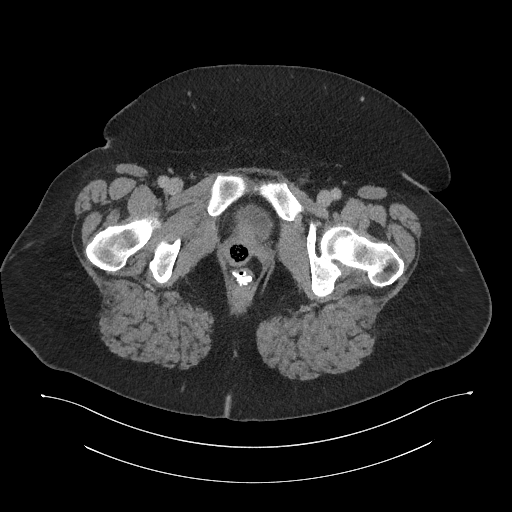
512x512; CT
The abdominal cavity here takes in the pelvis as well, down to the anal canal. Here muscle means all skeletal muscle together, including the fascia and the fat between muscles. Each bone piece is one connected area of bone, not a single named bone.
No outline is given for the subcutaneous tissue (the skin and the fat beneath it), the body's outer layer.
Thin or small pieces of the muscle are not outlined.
{"bones":[[[310,221],[320,222],[316,229],[318,241],[322,233],[329,227],[345,224],[371,241],[387,243],[403,260],[403,273],[393,283],[378,287],[369,281],[365,271],[340,265],[342,273],[336,279],[333,291],[323,297],[315,295],[311,289],[311,270],[306,245]],[[218,174],[241,175],[250,187],[257,184],[261,180],[285,181],[290,191],[303,206],[303,211],[299,214],[300,218],[299,219],[298,217],[291,221],[282,220],[272,206],[263,197],[252,191],[240,197],[220,215],[211,216],[206,207],[210,196],[210,188]],[[147,215],[156,216],[161,223],[160,226],[153,230],[148,241],[140,249],[127,259],[126,263],[123,267],[116,271],[107,271],[97,267],[88,259],[85,253],[85,248],[87,244],[97,232],[102,230],[109,225],[124,224],[134,219],[139,219],[145,217]],[[178,237],[180,238],[181,243],[180,244],[179,251],[177,254],[176,259],[173,265],[171,276],[166,282],[164,283],[159,283],[153,277],[152,273],[148,266],[150,260],[153,257],[154,249],[156,245],[160,241],[165,240],[169,243],[172,243]]],"muscle":[{"outer":[[122,162],[146,168],[167,196],[210,173],[251,166],[285,171],[327,209],[365,184],[396,190],[419,218],[420,256],[408,281],[379,314],[373,352],[344,373],[304,381],[281,375],[263,362],[255,331],[294,289],[290,272],[277,261],[245,315],[234,319],[229,315],[223,276],[213,252],[186,275],[214,317],[211,349],[197,365],[170,369],[111,352],[100,339],[95,323],[98,290],[74,251],[71,231],[79,191],[103,169]],"holes":[[[218,174],[241,175],[250,187],[261,180],[285,181],[290,191],[303,206],[299,219],[298,217],[291,221],[280,220],[278,244],[274,248],[272,257],[252,285],[246,290],[241,289],[233,281],[223,264],[218,237],[219,217],[211,216],[206,209],[210,188]],[[310,221],[320,222],[316,229],[318,241],[322,233],[329,227],[345,224],[371,241],[387,243],[403,260],[403,273],[393,283],[378,287],[369,281],[365,271],[340,265],[342,273],[336,279],[333,291],[323,297],[315,295],[311,289],[311,270],[306,245]],[[147,215],[156,216],[161,223],[160,226],[153,230],[148,241],[140,249],[127,259],[126,263],[123,267],[116,271],[107,271],[97,267],[88,259],[85,253],[85,248],[87,244],[97,232],[102,230],[109,225],[124,224],[134,219],[139,219],[145,217]],[[178,237],[180,238],[181,243],[180,244],[179,251],[177,254],[176,259],[173,265],[171,276],[166,282],[164,283],[159,283],[153,277],[152,273],[148,266],[150,260],[153,257],[154,249],[156,245],[160,241],[165,240],[169,243],[172,243]]]}],"abdominal_cavity":[[[254,193],[263,198],[271,206],[276,215],[280,219],[279,223],[280,224],[280,234],[278,244],[274,248],[272,257],[268,261],[264,269],[259,273],[252,285],[248,289],[244,290],[241,289],[233,281],[223,264],[218,237],[219,216],[240,198],[247,194]]],"torso":[[[229,63],[337,72],[387,94],[421,122],[451,173],[448,186],[432,194],[462,230],[491,298],[490,323],[471,353],[343,408],[281,420],[236,421],[161,409],[53,369],[12,332],[0,266],[53,179],[84,153],[103,145],[108,120],[152,85],[186,69]]]}